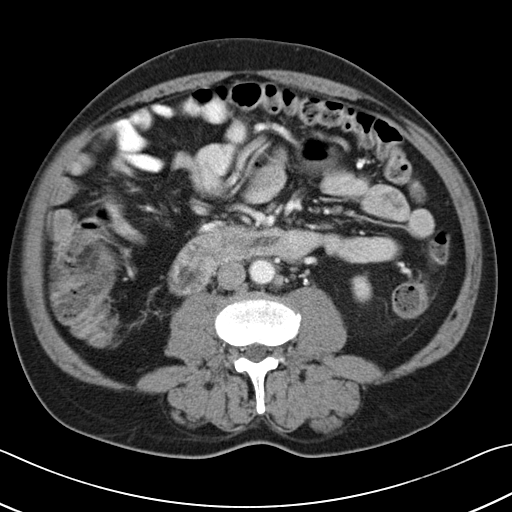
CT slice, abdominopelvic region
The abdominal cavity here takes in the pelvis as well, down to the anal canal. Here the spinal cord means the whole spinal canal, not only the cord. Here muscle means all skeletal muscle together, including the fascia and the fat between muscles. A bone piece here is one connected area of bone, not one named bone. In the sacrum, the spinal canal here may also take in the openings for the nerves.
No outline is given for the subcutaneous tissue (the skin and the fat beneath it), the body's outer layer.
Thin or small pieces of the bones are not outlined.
Outlines:
torso: [[222,37],[302,43],[357,64],[420,111],[474,179],[496,248],[495,315],[468,390],[432,425],[335,456],[302,457],[255,444],[209,458],[172,458],[75,432],[53,418],[31,389],[12,340],[5,279],[12,229],[36,168],[70,120],[119,76],[169,49]]
spinal cord: [[254,343],[257,343],[258,344],[261,344],[268,347],[271,347],[272,348],[271,353],[259,361],[253,361],[252,360],[248,359],[246,357],[243,356],[242,354],[242,352],[244,350],[243,347],[247,346],[248,345],[250,345],[251,344],[253,344]]
muscle: [[245,69],[251,70],[280,69],[303,72],[307,74],[327,78],[353,87],[384,103],[388,107],[398,113],[399,115],[405,117],[423,128],[437,141],[461,174],[463,180],[470,192],[477,212],[482,251],[481,277],[473,311],[469,323],[462,337],[451,351],[438,360],[426,366],[420,367],[413,372],[399,378],[396,378],[392,381],[381,383],[377,385],[368,384],[366,396],[360,408],[347,421],[340,432],[329,437],[323,436],[320,438],[302,439],[301,438],[293,438],[288,435],[284,436],[274,430],[272,430],[262,421],[258,421],[255,423],[255,425],[234,435],[210,436],[189,432],[183,429],[168,415],[163,406],[161,396],[158,393],[150,394],[142,392],[134,392],[129,390],[116,391],[109,388],[81,381],[63,371],[52,361],[45,352],[37,338],[24,300],[21,278],[21,264],[22,263],[23,235],[26,225],[26,217],[28,212],[28,208],[35,188],[38,184],[44,170],[62,145],[71,138],[75,132],[81,129],[84,129],[111,107],[122,100],[146,88],[167,80],[194,73],[215,70],[235,71]] with a hole at [[240,74],[389,123],[443,181],[465,251],[437,331],[389,370],[337,354],[348,332],[325,291],[290,291],[283,301],[301,320],[264,377],[262,414],[216,333],[222,296],[176,307],[163,352],[183,363],[130,384],[68,344],[44,294],[51,197],[80,148]]
bones: [[237,298],[240,300],[247,298],[281,300],[301,314],[297,334],[279,347],[285,362],[280,362],[276,368],[269,370],[264,377],[265,411],[262,414],[256,410],[254,388],[248,374],[236,371],[230,359],[232,347],[217,335],[214,326],[216,314],[226,303]] with a hole at [[254,343],[257,343],[258,344],[261,344],[268,347],[271,347],[272,348],[271,353],[259,361],[253,361],[252,360],[248,359],[246,357],[243,356],[242,354],[242,352],[244,350],[243,347],[247,346],[248,345],[250,345],[251,344],[253,344]]
abdominal cavity: [[240,74],[385,120],[443,181],[463,237],[463,279],[433,337],[399,365],[337,354],[347,327],[315,286],[283,300],[226,302],[207,291],[186,298],[171,313],[163,349],[183,363],[133,384],[89,364],[56,328],[44,294],[46,218],[68,163],[118,120]]